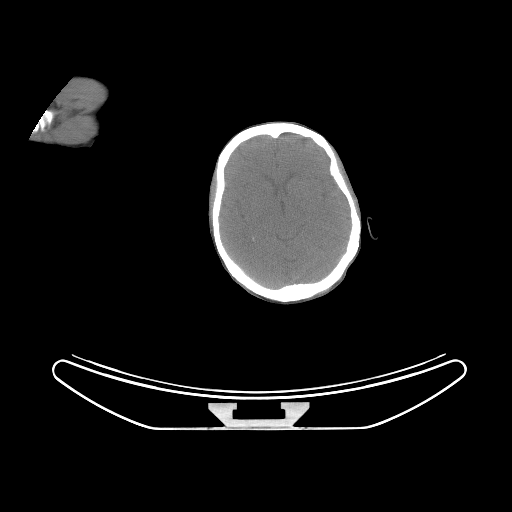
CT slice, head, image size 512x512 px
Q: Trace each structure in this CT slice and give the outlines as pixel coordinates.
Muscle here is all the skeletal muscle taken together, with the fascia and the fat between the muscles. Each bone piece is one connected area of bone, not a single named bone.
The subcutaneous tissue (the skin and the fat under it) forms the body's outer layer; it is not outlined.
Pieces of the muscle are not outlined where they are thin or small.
A: The bones appear in 2 outlined pieces: piece 1: (267, 122) (293, 122) (318, 132) (329, 142) (337, 155) (338, 167) (355, 200) (356, 211) (360, 217) (359, 246) (352, 261) (341, 277) (328, 289) (308, 298) (279, 301) (244, 287) (227, 270) (217, 251) (213, 237) (211, 209) (216, 188) (217, 158) (234, 135) (251, 126); inner edge: (284, 133) (309, 138) (324, 151) (329, 160) (328, 173) (347, 202) (350, 225) (345, 250) (327, 274) (315, 281) (293, 282) (279, 287) (270, 287) (251, 277) (230, 256) (221, 237) (220, 213) (226, 188) (225, 168) (233, 152) (240, 144) (254, 137) (265, 135) (276, 139); piece 2: (46, 109) (49, 109) (50, 110) (51, 110) (54, 113) (54, 117) (53, 118) (51, 123) (50, 124) (47, 124) (44, 127) (44, 129) (43, 130) (41, 130) (40, 129) (39, 129) (34, 134) (31, 135) (32, 130) (34, 128) (34, 127) (36, 125) (38, 120). The muscle appears in 2 outlined pieces: piece 1: (71, 79) (93, 83) (100, 89) (99, 97) (92, 109) (87, 114) (90, 118) (92, 126) (91, 135) (87, 141) (76, 144) (34, 139) (32, 137) (33, 135) (39, 130) (43, 131) (47, 125) (50, 125) (52, 123) (55, 117) (55, 113) (51, 109) (47, 108) (62, 88); piece 2: (339, 162) (342, 168) (342, 170) (344, 173) (344, 175) (346, 178) (346, 180) (349, 185) (349, 187) (352, 192) (352, 194) (354, 197) (354, 199) (351, 193) (351, 191) (349, 189) (347, 185) (347, 183) (345, 180) (345, 178) (339, 167) (339, 164) (338, 163). The brain is outlined by (284, 133) (309, 138) (324, 151) (329, 160) (328, 173) (347, 202) (350, 225) (345, 250) (327, 274) (315, 281) (293, 282) (279, 287) (270, 287) (251, 277) (230, 256) (221, 237) (220, 213) (226, 188) (225, 168) (233, 152) (240, 144) (254, 137) (265, 135) (276, 139). The head is outlined by (271, 121) (302, 123) (321, 134) (335, 148) (357, 196) (362, 216) (360, 231) (361, 251) (355, 262) (349, 268) (345, 280) (323, 297) (292, 305) (278, 305) (264, 302) (249, 295) (236, 285) (222, 269) (208, 229) (207, 209) (209, 185) (221, 150) (242, 129) (253, 124). The right arm is outlined by (75, 75) (86, 75) (98, 78) (105, 82) (109, 86) (111, 91) (109, 98) (99, 113) (102, 125) (100, 133) (93, 144) (88, 148) (86, 147) (68, 148) (57, 145) (47, 145) (42, 143) (36, 143) (29, 141) (32, 130) (44, 111) (60, 92) (62, 88).